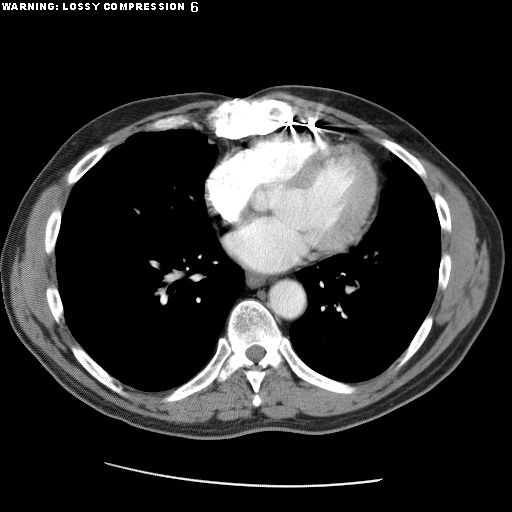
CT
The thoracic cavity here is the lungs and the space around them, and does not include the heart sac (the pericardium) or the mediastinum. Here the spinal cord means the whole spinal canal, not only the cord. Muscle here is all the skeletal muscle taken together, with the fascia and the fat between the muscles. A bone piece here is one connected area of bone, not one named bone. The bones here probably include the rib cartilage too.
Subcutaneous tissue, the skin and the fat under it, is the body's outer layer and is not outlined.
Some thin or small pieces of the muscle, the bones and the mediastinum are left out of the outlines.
Outlined structures:
spinal cord: 253,345 258,345 259,346 262,347 264,349 264,350 265,351 265,353 264,354 264,355 257,362 255,362 254,361 251,360 249,358 248,358 246,355 246,350 248,348 249,348 251,346 252,346
bones 1: 245,299 258,301 270,312 305,364 328,378 354,386 355,391 338,393 314,385 284,362 277,369 265,369 258,406 252,403 254,391 243,368 224,381 214,380 181,399 163,401 209,362 218,339 225,334 231,310; inner edge: 253,345 258,345 259,346 262,347 264,349 264,350 265,351 265,353 264,354 264,355 257,362 255,362 254,361 251,360 249,358 248,358 246,355 246,350 248,348 249,348 251,346 252,346
bones 2: 263,96 267,98 285,101 293,106 297,111 295,116 290,121 287,121 284,124 272,131 266,133 255,133 241,138 231,139 216,135 214,131 208,125 205,119 206,113 224,100 232,100 235,98 251,100 254,98
bones 3: 77,344 78,344 96,363 97,363 116,380 115,381 115,383 117,385 119,384 122,386 123,390 127,393 127,396 121,395 110,389 97,380 84,368 84,367 76,359 70,348 70,346 71,345 76,345
bones 4: 106,143 108,143 109,144 109,150 107,151 102,156 102,157 98,161 97,161 75,183 74,183 72,185 69,185 67,183 67,175 69,171 71,169 71,168 86,154 90,152 93,149 103,144 105,144
bones 5: 428,314 432,316 433,318 433,321 432,322 431,328 427,336 416,352 403,365 402,365 398,369 396,369 396,366 398,363 397,359 408,347 409,344 411,342 412,339 414,337 415,334 417,332 424,319
bones 6: 382,138 385,138 386,139 388,139 389,140 396,142 402,147 403,147 407,151 408,151 412,155 416,157 423,166 426,172 426,177 423,179 403,160 402,160 398,156 392,153 385,147 381,145 379,143 379,140
bones 7: 178,114 187,115 191,121 198,122 200,126 199,129 194,128 190,123 188,123 183,125 181,127 178,127 177,128 171,128 170,129 158,130 157,131 148,130 147,125 151,122 163,117 166,117 171,115 177,115
bones 8: 56,207 59,207 62,212 61,213 61,221 59,226 59,231 58,232 57,238 55,242 55,248 54,249 54,252 50,254 48,254 45,251 45,229 46,228 46,223 47,222 48,217 50,215 51,212 53,209
bones 9: 51,284 54,284 57,287 57,289 59,293 59,296 61,300 61,303 63,307 63,315 64,316 64,319 63,320 62,319 59,323 57,323 56,322 47,301 47,297 46,296 46,289 47,287
bones 10: 436,192 438,192 444,198 447,203 447,205 449,209 449,214 450,215 450,220 451,221 451,229 449,232 445,230 441,230 441,227 440,226 440,222 439,221 438,214 437,213 436,207 433,200 434,194
bones 11: 443,253 447,253 450,256 451,265 450,266 450,272 449,273 449,278 448,279 448,281 447,282 446,287 444,289 440,289 439,288 437,288 437,287 438,286 438,278 439,277 439,266 440,265 441,256
thoracic cavity 1: 178,128 199,130 217,148 214,165 204,181 203,197 223,251 243,271 243,289 229,311 224,334 217,339 215,350 203,368 174,388 145,391 112,376 72,334 58,289 55,249 62,213 74,184 107,152 134,134
thoracic cavity 2: 394,155 421,178 435,207 441,249 436,291 427,314 407,347 385,370 366,380 344,382 311,368 292,346 289,328 304,314 308,306 308,295 296,273 322,260 339,254 349,254 363,239 378,213 381,192 387,182
muscle 1: 202,100 222,100 204,115 211,129 200,129 199,122 187,114 163,116 111,149 108,142 93,148 66,175 66,183 72,187 64,208 54,207 45,223 44,251 55,255 57,279 57,286 51,283 46,287 45,296 55,322 65,320 78,343 69,346 75,359 97,381 124,397 128,393 117,380 145,392 173,389 161,399 163,402 181,400 243,369 253,391 254,407 262,403 259,391 268,367 277,370 286,363 300,379 338,394 354,393 357,389 351,383 378,376 396,360 398,370 428,336 434,321 428,313 437,289 447,287 452,265 451,256 442,253 441,248 441,231 449,233 452,229 448,203 438,191 432,198 423,181 427,177 424,166 406,148 438,167 458,186 468,200 476,234 481,242 486,241 489,256 489,283 481,308 426,368 377,401 341,414 176,423 105,400 32,342 12,307 10,273 17,247 24,247 28,217 40,193 108,135 156,112
muscle 2: 274,91 288,92 295,96 323,103 344,111 377,127 394,140 382,137 377,143 351,129 329,121 321,120 322,114 319,112 308,111 304,116 299,116 298,118 295,117 298,111 293,105 285,100 267,97 264,95
torso: 282,84 332,88 375,102 415,126 467,176 495,212 504,239 503,278 487,322 462,361 435,387 380,417 331,433 260,431 192,439 99,412 64,389 10,325 0,253 24,193 76,130 114,107 186,92 242,98
pericardium: 292,123 312,124 324,130 353,137 367,148 379,166 382,179 377,211 361,240 347,252 314,261 285,273 258,275 246,271 224,251 206,206 205,181 219,156 228,146 238,144 242,138 247,136 266,134 285,124
mediastinum 1: 314,262 317,262 316,263 303,267 295,273 296,278 303,286 307,295 307,306 303,314 289,326 288,337 279,328 271,312 258,300 245,298 238,301 233,306 244,289 245,277 243,269 248,273 266,277 285,274
mediastinum 2: 294,118 297,118 303,123 313,123 320,120 335,124 351,130 360,136 379,144 393,154 391,158 391,164 388,168 388,176 382,189 383,179 380,166 374,155 358,139 353,136 321,128 312,123 286,123 290,122
mediastinum 3: 204,129 212,130 216,136 221,138 225,138 231,140 237,140 238,139 241,139 241,140 238,143 232,143 228,145 218,156 216,161 216,158 218,154 218,148 215,144 209,143 208,142 207,136 200,130 203,130